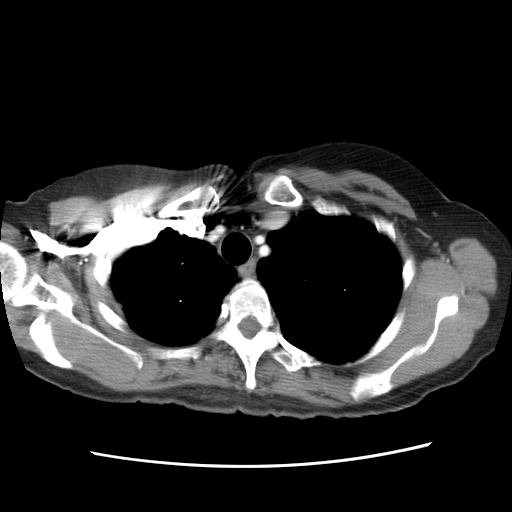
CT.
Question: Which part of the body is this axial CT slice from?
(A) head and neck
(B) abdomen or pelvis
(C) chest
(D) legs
Answer: (C) chest
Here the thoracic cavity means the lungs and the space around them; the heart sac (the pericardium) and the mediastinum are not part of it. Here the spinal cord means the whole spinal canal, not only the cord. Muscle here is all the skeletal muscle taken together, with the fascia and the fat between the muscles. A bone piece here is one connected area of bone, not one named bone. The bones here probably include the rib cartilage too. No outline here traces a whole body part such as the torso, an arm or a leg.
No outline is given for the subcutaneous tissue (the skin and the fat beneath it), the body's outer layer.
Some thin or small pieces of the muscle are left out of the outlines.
Outlines (x, y in pixels):
bones 1: 245,278 257,280 265,289 285,339 322,361 321,365 288,371 272,357 269,351 265,351 255,366 255,387 252,390 246,388 245,368 236,351 226,342 212,340 207,335 215,327 224,297 236,283 with a hole at 247,317 253,317 256,320 256,321 259,324 259,325 260,326 260,328 259,329 259,330 252,337 251,337 250,338 248,338 247,337 246,337 241,332 241,331 238,326 238,325 241,322 241,321 243,319 244,319
bones 2: 0,240 25,257 30,274 36,272 47,283 73,296 72,312 81,322 139,352 141,367 137,368 119,348 71,323 55,310 46,311 45,318 51,322 57,349 73,368 46,361 29,334 39,310 34,305 4,302
bones 3: 452,294 458,295 457,312 440,321 435,338 429,348 422,354 402,362 393,371 390,377 393,386 389,391 375,397 362,397 355,400 349,392 356,377 362,373 384,370 410,348 423,344 433,330 438,300 443,296
bones 4: 202,184 206,184 214,187 215,190 218,193 219,195 219,207 216,211 210,213 206,212 202,215 197,214 185,216 182,215 170,216 168,218 164,219 157,216 157,213 172,199 181,195 184,192 192,190 197,186
bones 5: 280,174 283,174 288,176 291,179 291,181 293,185 301,194 303,198 303,202 301,206 299,207 296,207 295,208 289,208 285,206 271,204 264,200 263,198 263,193 266,187 268,185 268,183 276,175 279,175
bones 6: 402,309 404,309 405,310 404,319 399,331 392,341 384,349 371,358 361,363 357,363 356,364 352,364 351,365 346,366 345,364 347,362 352,363 368,351 371,346 379,337 380,334 389,324 394,315 398,311
bones 7: 191,345 198,345 201,347 201,354 199,357 196,359 193,359 192,358 184,358 183,359 179,359 178,358 159,359 152,355 152,354 147,350 147,348 148,347 178,348 179,347 184,347 185,346 190,346
bones 8: 102,256 109,256 112,259 115,259 112,263 112,266 111,267 111,273 110,274 109,283 108,284 109,288 110,289 110,292 106,291 104,289 103,289 96,281 96,280 92,275 92,267 94,265 95,262
bones 9: 318,196 320,196 330,202 335,202 338,205 345,207 349,211 350,214 349,215 337,215 336,216 330,216 329,215 323,215 322,214 319,213 314,209 314,208 311,204 311,202 315,198 316,198
bones 10: 98,300 105,303 117,314 118,314 120,316 123,317 125,319 125,320 128,324 128,326 126,328 126,331 125,332 123,332 116,328 114,328 103,318 103,317 98,311 98,310 97,309 97,307 96,306 96,302
bones 11: 373,214 376,214 380,216 383,216 385,218 388,219 393,223 393,225 394,226 394,229 395,230 395,234 396,235 396,239 394,243 392,242 387,236 377,231 374,224 372,222 372,215
bones 12: 149,231 155,231 156,233 158,234 156,238 151,242 149,243 147,243 146,244 144,244 143,245 139,245 138,246 133,246 130,248 129,248 126,245 126,239 129,236 131,235 134,235 140,232 148,232
bones 13: 410,255 412,255 414,258 414,261 415,262 415,272 414,273 414,275 413,276 408,287 406,289 406,290 405,291 402,291 402,287 403,286 403,282 402,281 402,265 403,264 404,261 408,257 408,256 409,256
mediastinum: 244,207 275,209 307,207 309,209 300,212 283,227 268,233 266,241 271,248 271,252 257,262 257,279 252,277 240,279 236,270 218,255 213,245 205,240 180,233 174,225 174,223 186,216 236,211
thoracic cavity 1: 310,209 323,216 353,215 372,223 378,233 387,237 394,244 402,264 401,293 393,316 367,351 353,361 344,363 323,361 286,339 281,331 268,293 257,278 258,262 272,252 267,241 269,233 283,228 300,213
thoracic cavity 2: 166,227 171,227 180,234 205,241 213,246 217,255 235,270 236,275 240,280 236,282 223,297 214,327 206,335 187,345 166,345 158,343 135,331 126,320 122,305 116,299 110,285 114,261 133,247 151,243
spinal cord: 247,317 253,317 256,320 256,321 259,324 259,325 260,326 260,328 259,329 259,330 252,337 251,337 250,338 248,338 247,337 246,337 241,332 241,331 238,326 238,325 241,322 241,321 243,319 244,319
muscle 1: 288,165 308,166 328,172 357,169 374,174 390,184 408,200 416,214 417,219 406,218 401,229 418,258 436,255 461,237 474,237 489,250 496,262 497,290 490,301 485,324 477,331 470,347 460,358 431,374 396,388 392,389 394,385 391,382 392,374 402,363 422,355 430,348 441,321 458,312 459,295 452,293 437,300 433,327 423,343 410,347 386,368 362,372 355,377 348,392 350,396 355,401 373,398 352,405 321,407 278,394 236,393 229,389 198,385 178,386 163,391 121,392 71,370 74,366 58,349 52,322 46,318 46,312 49,311 55,311 71,324 119,349 139,370 143,365 142,355 81,321 73,312 75,298 70,292 47,282 36,271 30,273 26,257 15,246 0,239 3,221 21,230 36,226 46,217 47,206 52,201 87,194 108,196 116,188 129,183 162,179 181,182 215,172 224,172 238,179 257,171 273,171, around a hole outlined by 280,174 291,179 303,198 302,207 313,209 311,202 320,196 370,223 373,214 388,219 394,226 401,263 413,256 414,275 394,311 404,309 404,319 384,349 361,363 346,366 323,361 295,371 288,371 265,351 255,366 256,385 248,390 244,365 224,341 204,335 187,345 201,347 196,359 159,359 148,347 184,345 158,343 129,325 123,332 103,318 98,300 120,316 125,314 111,286 106,291 92,275 99,258 117,259 129,249 126,239 131,235 158,234 166,227 176,230 174,223 182,215 163,219 157,213 202,184 218,193 217,212 285,208 263,198 268,183
muscle 2: 6,303 8,303 11,306 14,307 34,306 38,310 36,316 30,323 28,327 28,334 41,357 31,351 25,350 21,347 16,345 12,335 12,332 9,325 9,322 6,313 6,309 5,308 5,304